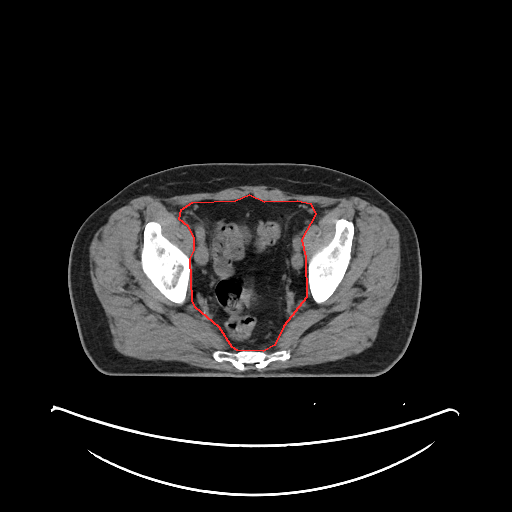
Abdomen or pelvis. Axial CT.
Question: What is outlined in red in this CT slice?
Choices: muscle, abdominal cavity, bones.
Answer: red: abdominal cavity.
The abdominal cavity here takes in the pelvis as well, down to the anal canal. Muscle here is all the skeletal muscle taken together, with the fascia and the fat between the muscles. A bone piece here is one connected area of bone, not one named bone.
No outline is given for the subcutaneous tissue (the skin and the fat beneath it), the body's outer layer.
abdominal cavity: (249, 194) (264, 201) (297, 200) (310, 203) (315, 214) (301, 239) (305, 257) (306, 297) (283, 326) (274, 345) (263, 351) (237, 350) (232, 347) (219, 327) (195, 307) (192, 300) (190, 258) (194, 250) (194, 237) (188, 226) (179, 219) (181, 209) (192, 202) (235, 200)
torso: (208, 162) (286, 162) (314, 164) (332, 168) (368, 182) (408, 216) (414, 226) (419, 243) (421, 297) (415, 328) (409, 344) (401, 358) (390, 369) (374, 377) (270, 378) (113, 376) (96, 369) (81, 345) (67, 283) (69, 253) (78, 228) (96, 208) (134, 180) (175, 166)
bones 1: (149, 221) (158, 222) (161, 226) (161, 233) (162, 235) (176, 245) (189, 257) (191, 261) (190, 276) (187, 284) (187, 290) (186, 291) (185, 300) (181, 304) (176, 303) (168, 299) (161, 293) (146, 276) (142, 269) (141, 265) (141, 250) (143, 246) (143, 231) (145, 224)
bones 2: (341, 218) (344, 218) (353, 222) (354, 225) (354, 235) (352, 239) (351, 252) (350, 253) (351, 257) (346, 271) (333, 293) (323, 302) (317, 303) (313, 299) (309, 288) (308, 283) (308, 263) (310, 258) (314, 253) (326, 246) (331, 241) (335, 234) (335, 221) (337, 219)
bones 3: (216, 350) (230, 352) (252, 350) (262, 351) (266, 353) (271, 353) (279, 350) (289, 350) (290, 356) (288, 359) (284, 361) (271, 361) (265, 367) (259, 369) (256, 368) (253, 364) (246, 364) (246, 369) (240, 371) (227, 360) (220, 362) (217, 361) (212, 355) (213, 352)
muscle: (242, 185) (357, 196) (388, 214) (399, 233) (400, 275) (372, 345) (333, 361) (265, 371) (246, 370) (246, 365) (253, 365) (259, 370) (284, 362) (291, 356) (289, 349) (264, 350) (275, 345) (307, 297) (302, 239) (316, 217) (310, 202) (249, 193) (200, 199) (180, 209) (178, 219) (193, 237) (190, 257) (155, 220) (144, 224) (140, 250) (143, 273) (176, 304) (186, 300) (191, 270) (194, 307) (237, 351) (216, 349) (211, 355) (239, 371) (120, 353) (90, 277) (95, 233) (139, 196); inner edge: (341, 218) (344, 218) (353, 222) (354, 225) (354, 235) (352, 239) (351, 252) (350, 253) (351, 257) (346, 271) (333, 293) (323, 302) (317, 303) (313, 299) (309, 288) (308, 283) (308, 263) (310, 258) (314, 253) (326, 246) (331, 241) (335, 234) (335, 221) (337, 219)